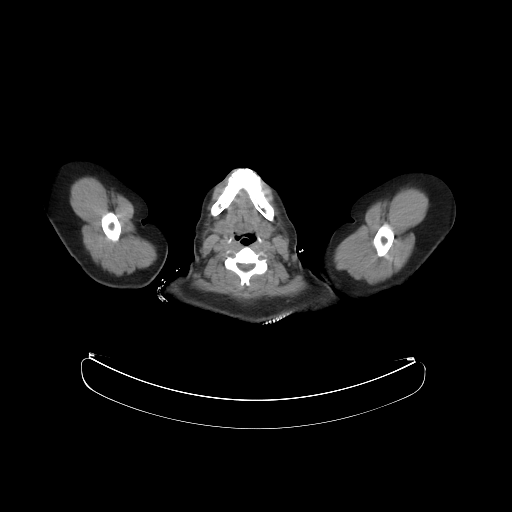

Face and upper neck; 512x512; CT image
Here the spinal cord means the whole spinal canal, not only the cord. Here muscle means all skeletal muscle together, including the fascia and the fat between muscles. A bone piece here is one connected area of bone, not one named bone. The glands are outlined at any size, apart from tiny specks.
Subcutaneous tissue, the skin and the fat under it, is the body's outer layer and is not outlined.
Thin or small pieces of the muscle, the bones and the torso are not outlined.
Outlines (x, y in pixels):
submandibular glands 1: 261 219; 263 221; 268 221; 270 223; 270 224; 271 225; 271 226; 272 227; 272 228; 273 229; 273 232; 271 234; 271 235; 268 238; 264 238; 263 237; 261 237; 259 235; 259 222; 260 221; 260 220
submandibular glands 2: 220 220; 221 220; 222 221; 224 221; 226 223; 227 230; 226 231; 226 232; 225 232; 224 233; 223 232; 219 232; 218 231; 216 231; 215 230; 214 230; 214 229; 213 228; 213 224; 215 222; 216 222; 217 221; 219 221
torso 1: 300 260; 315 275; 319 276; 329 287; 332 288; 337 292; 337 294; 343 305; 341 307; 326 309; 315 313; 303 313; 302 314; 292 314; 291 315; 288 315; 292 307; 293 300; 295 297; 295 294; 298 287; 299 274; 300 273
torso 2: 189 266; 189 276; 190 277; 190 282; 192 285; 192 287; 195 293; 195 295; 198 299; 198 302; 205 310; 200 310; 197 308; 183 304; 179 301; 176 300; 164 290; 164 287; 167 285; 170 281; 179 275; 183 273; 185 273; 188 270
right arm: 75 159; 91 160; 109 169; 145 201; 148 207; 148 214; 141 222; 143 224; 149 222; 154 223; 164 233; 168 243; 166 261; 157 276; 146 286; 137 289; 118 289; 107 287; 94 281; 84 274; 49 222; 40 195; 42 180; 62 164
left arm: 409 171; 429 172; 446 182; 451 189; 456 202; 456 215; 452 228; 443 242; 402 285; 384 290; 364 299; 353 299; 338 292; 321 278; 318 270; 321 256; 327 241; 341 224; 352 219; 350 216; 350 208; 357 198; 382 182; 398 174
bones 1: 237 168; 250 168; 261 177; 264 183; 261 186; 261 188; 265 197; 273 208; 274 216; 272 221; 264 217; 256 209; 248 193; 244 189; 240 189; 238 191; 228 207; 216 216; 213 216; 211 214; 210 209; 227 184; 226 179; 231 172
bones 2: 245 245; 249 246; 256 252; 262 251; 265 254; 267 263; 267 269; 262 274; 253 274; 249 279; 249 285; 243 285; 242 286; 240 284; 241 280; 239 276; 235 272; 227 269; 225 267; 224 261; 227 255; 226 251; 228 250; 237 251, around a hole outlined by 238 263; 239 263; 240 264; 253 264; 253 267; 251 269; 250 269; 249 270; 247 270; 246 271; 245 271; 244 270; 242 270; 241 269; 240 269; 238 267; 238 266; 237 265; 237 264
bones 3: 385 222; 388 223; 391 226; 393 230; 393 232; 394 233; 394 238; 393 239; 393 241; 392 242; 391 246; 387 251; 386 255; 385 256; 378 256; 377 255; 376 249; 373 244; 373 239; 374 238; 375 234; 377 232; 380 226
bones 4: 109 211; 111 211; 113 212; 116 215; 117 215; 118 220; 121 226; 121 232; 120 233; 119 238; 118 240; 115 242; 110 240; 106 236; 106 235; 103 231; 103 229; 101 225; 101 218; 102 216; 105 213
spinal cord: 238 263; 239 263; 240 264; 253 264; 253 267; 251 269; 250 269; 249 270; 247 270; 246 271; 245 271; 244 270; 242 270; 241 269; 240 269; 238 267; 238 266; 237 265; 237 264
head and neck: 236 166; 251 166; 255 168; 261 177; 279 193; 297 233; 296 249; 299 258; 299 273; 292 304; 287 316; 267 323; 248 323; 207 311; 199 302; 191 282; 189 265; 194 255; 194 228; 200 215; 202 200; 208 189; 219 182 with a hole at 248 233; 251 233; 254 236; 255 236; 255 239; 254 239; 253 240; 253 241; 250 242; 248 244; 244 244; 243 243; 242 243; 242 242; 240 240; 238 240; 235 238; 235 235; 237 235; 238 236; 241 236; 243 234; 247 234
muscle 1: 225 180; 226 184; 209 209; 210 214; 216 217; 229 207; 240 190; 244 190; 255 209; 268 220; 261 218; 258 222; 258 235; 261 238; 268 239; 274 232; 270 222; 274 220; 275 212; 262 188; 265 185; 273 194; 288 231; 289 250; 294 269; 304 276; 311 288; 292 297; 262 297; 253 301; 238 301; 221 294; 196 290; 190 285; 194 273; 200 266; 199 234; 205 221; 206 206; 214 190, around holes outlined by 248 233; 255 236; 255 239; 247 245; 254 251; 262 251; 265 254; 267 269; 262 274; 253 274; 249 279; 249 285; 242 286; 239 276; 235 272; 227 269; 224 261; 227 255; 226 251; 237 251; 245 245; 236 239; 235 235; 241 236 and by 220 220; 221 220; 222 221; 224 221; 226 223; 227 230; 226 231; 226 232; 225 232; 224 233; 223 232; 219 232; 218 231; 216 231; 215 230; 214 230; 214 229; 213 228; 213 224; 215 222; 216 222; 217 221; 219 221
muscle 2: 406 185; 420 187; 427 193; 429 198; 427 213; 419 224; 414 249; 406 264; 401 270; 391 277; 372 285; 354 280; 344 273; 337 272; 334 268; 333 262; 333 252; 337 245; 358 227; 365 211; 372 203; 381 196; 387 195; 391 191, around a hole outlined by 385 222; 388 223; 391 226; 393 230; 393 232; 394 233; 394 238; 393 239; 393 241; 392 242; 391 246; 387 251; 386 255; 385 256; 378 256; 377 255; 376 249; 373 244; 373 239; 374 238; 375 234; 377 232; 380 226
muscle 3: 82 176; 93 176; 105 185; 114 187; 132 203; 134 206; 134 221; 137 228; 145 238; 156 247; 157 250; 157 259; 151 265; 134 273; 123 277; 118 277; 103 270; 91 259; 83 246; 79 222; 75 217; 69 202; 70 186; 76 179, around a hole outlined by 109 211; 111 211; 113 212; 116 215; 117 215; 118 220; 121 226; 121 232; 120 233; 119 238; 118 240; 115 242; 110 240; 106 236; 106 235; 103 231; 103 229; 101 225; 101 218; 102 216; 105 213